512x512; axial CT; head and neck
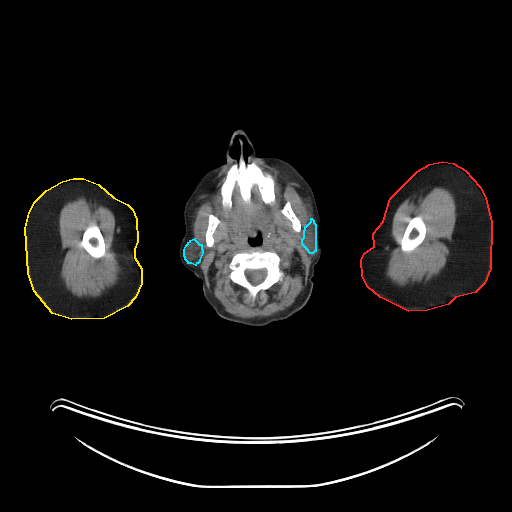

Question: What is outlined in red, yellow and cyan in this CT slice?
Answer: red: left arm; yellow: right arm; cyan: parotid glands.
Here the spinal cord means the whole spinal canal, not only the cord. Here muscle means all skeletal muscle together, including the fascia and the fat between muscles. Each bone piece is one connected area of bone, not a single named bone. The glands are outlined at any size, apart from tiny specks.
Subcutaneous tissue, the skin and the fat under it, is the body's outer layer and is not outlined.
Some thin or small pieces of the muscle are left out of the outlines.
Outlined structures:
left arm: 442,161 453,163 465,170 479,186 485,197 491,222 490,268 484,283 475,292 455,297 448,304 427,310 408,311 380,297 368,287 362,276 361,260 364,253 374,246 373,233 383,221 390,198 417,171 429,164
right arm: 73,178 83,178 98,184 113,197 127,204 132,209 136,219 137,241 134,249 134,257 141,268 141,283 135,297 127,306 104,318 71,319 52,313 34,291 28,273 25,228 29,212 35,201 46,190 62,181
parotid glands 1: 194,238 194,239 199,244 201,244 201,248 202,249 202,253 199,259 199,261 197,263 196,263 195,265 191,263 188,263 188,262 185,259 185,257 184,256 184,249 186,245 188,243 188,242 190,241 190,240
parotid glands 2: 311,218 313,220 313,222 315,224 315,251 314,251 312,253 310,253 308,251 308,250 307,249 306,249 306,248 302,244 302,239 304,237 304,230 305,229 305,226 306,226 311,221
bones 1: 240,158 243,158 246,162 254,162 265,174 272,176 275,182 275,200 273,203 266,204 255,190 252,192 251,202 247,204 241,199 236,187 232,194 231,208 225,209 223,207 220,192 221,185 231,165 237,163
bones 2: 252,251 275,252 279,256 280,260 279,268 284,273 281,281 278,281 267,289 260,291 257,294 255,299 252,299 249,292 244,287 232,281 229,276 231,272 229,264 232,257 236,253 239,252 251,252 with a hole at 247,269 250,269 251,270 257,270 258,269 265,269 266,270 266,275 265,276 265,277 263,279 263,280 261,282 260,282 259,283 258,283 257,284 254,285 253,284 252,284 247,279 247,278 245,275 245,271
bones 3: 415,216 420,216 421,217 426,227 426,234 425,235 425,237 424,239 420,244 419,244 412,251 408,253 406,253 405,252 403,252 401,249 401,246 400,245 400,240 405,231 406,226 407,226 411,222 412,219
bones 4: 93,223 96,224 98,226 103,236 103,238 104,239 104,243 105,244 105,252 106,253 104,256 100,257 99,258 95,258 91,256 81,246 80,246 79,244 82,239 82,236 83,235 83,233 85,229 89,225
bones 5: 209,214 213,214 219,219 219,222 215,230 213,232 213,234 212,235 213,237 213,244 212,246 210,247 207,246 205,242 205,233 207,229 207,225 208,224 208,216
bones 6: 287,201 289,201 290,202 291,207 294,213 300,221 300,223 301,224 301,229 300,231 298,232 295,231 293,229 292,227 292,223 291,221 288,218 287,218 282,213 281,211 283,206
spinal cord: 247,269 250,269 251,270 257,270 258,269 265,269 266,270 266,275 265,276 265,277 263,279 263,280 261,282 260,282 259,283 258,283 257,284 254,285 253,284 252,284 247,279 247,278 245,275 245,271
muscle 1: 253,160 278,166 306,191 313,219 311,217 304,226 301,244 310,254 315,254 309,267 307,283 291,306 270,316 242,318 225,311 208,290 204,275 196,265 203,249 202,244 193,238 192,222 197,197 208,189 222,169 230,165 219,188 221,205 225,210 232,208 236,188 240,199 247,205 252,202 255,191 266,205 275,202 276,182 273,176 265,173 with holes at 252,251 275,252 279,256 280,260 279,268 284,273 281,281 278,281 267,289 260,291 257,294 255,299 252,299 249,292 244,287 232,281 229,276 231,272 229,264 232,257 236,253 239,252 251,252 and at 209,214 213,214 219,219 219,222 215,230 213,232 213,234 212,235 213,237 213,244 212,246 210,247 207,246 205,242 205,233 207,229 207,225 208,224 208,216 and at 287,201 289,201 290,202 291,207 294,213 300,221 300,223 301,224 301,229 300,231 298,232 295,231 293,229 292,227 292,223 291,221 288,218 287,218 282,213 281,211 283,206 and at 258,234 260,234 260,235 261,236 261,242 259,244 258,244 257,245 251,245 250,244 250,243 249,242 249,239 250,238 255,238 256,237 256,236 257,236 258,235
muscle 2: 436,186 443,186 449,189 454,194 456,201 456,221 452,234 452,241 449,244 450,254 447,262 438,275 426,282 408,283 403,286 396,285 384,274 389,253 388,247 394,213 400,203 407,197 414,194 425,195; inner edge: 415,216 420,216 421,217 426,227 426,234 425,235 425,237 424,239 420,244 419,244 412,251 408,253 406,253 405,252 403,252 401,249 401,246 400,245 400,240 405,231 406,226 407,226 411,222 412,219
muscle 3: 78,195 83,195 88,200 96,201 108,207 114,213 116,222 120,227 120,232 117,235 117,259 121,267 119,280 115,285 104,290 96,297 77,297 73,295 65,288 60,276 64,254 61,251 59,212 64,202 with a hole at 93,223 96,224 98,226 103,236 103,238 104,239 104,243 105,244 105,252 106,253 104,256 100,257 99,258 95,258 91,256 81,246 80,246 79,244 82,239 82,236 83,235 83,233 85,229 89,225
head and neck: 238,129 247,134 258,157 279,158 297,169 312,189 321,220 322,248 314,267 313,288 308,301 288,318 264,326 248,326 220,317 206,301 201,281 182,263 179,255 185,234 185,203 201,177 226,161 229,141; inner edges: 237,137 238,137 238,142 239,143 239,159 238,160 236,158 235,158 234,157 233,157 231,155 231,150 232,149 232,147 233,146 233,143 234,142 234,140 235,139 235,138 236,138, then 242,137 243,138 244,138 244,139 246,141 246,142 247,143 247,144 248,145 248,146 250,148 250,153 247,156 247,157 246,158 246,161 244,159 244,145 243,144 243,141 242,140 242,139 241,138, then 258,234 260,234 260,235 261,236 261,242 259,244 258,244 257,245 251,245 250,244 250,243 249,242 249,239 250,238 255,238 256,237 256,236 257,236 258,235